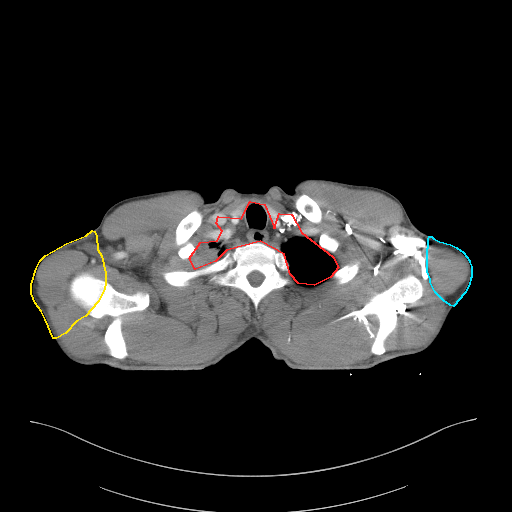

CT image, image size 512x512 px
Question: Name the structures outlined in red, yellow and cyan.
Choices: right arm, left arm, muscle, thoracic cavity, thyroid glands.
Answer: red: thoracic cavity; yellow: right arm; cyan: left arm.
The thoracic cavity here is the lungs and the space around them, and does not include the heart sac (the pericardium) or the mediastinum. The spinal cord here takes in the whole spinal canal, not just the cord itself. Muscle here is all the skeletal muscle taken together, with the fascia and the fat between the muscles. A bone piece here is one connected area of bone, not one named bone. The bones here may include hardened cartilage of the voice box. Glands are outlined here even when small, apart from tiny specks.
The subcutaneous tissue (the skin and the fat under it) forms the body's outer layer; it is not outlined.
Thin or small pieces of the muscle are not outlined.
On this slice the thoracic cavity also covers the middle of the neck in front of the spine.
Outlined structures:
thoracic cavity: (250, 201) (264, 204) (274, 228) (279, 213) (291, 214) (301, 232) (332, 256) (338, 267) (330, 277) (314, 285) (298, 283) (290, 274) (284, 254) (260, 241) (226, 250) (215, 261) (195, 269) (189, 258) (200, 242) (217, 240) (222, 231) (216, 223) (218, 216) (241, 218)
right arm: (92, 230) (94, 231) (96, 236) (97, 249) (101, 255) (105, 273) (105, 284) (103, 291) (97, 302) (85, 316) (76, 321) (65, 333) (56, 338) (53, 338) (45, 319) (41, 311) (35, 303) (31, 293) (31, 284) (36, 268) (40, 260) (45, 255) (66, 243) (86, 235)
left arm: (429, 236) (431, 236) (433, 238) (439, 241) (450, 244) (456, 247) (463, 252) (469, 260) (469, 262) (471, 266) (471, 277) (470, 278) (469, 284) (464, 293) (453, 306) (450, 305) (443, 300) (435, 292) (430, 282) (430, 279) (427, 271) (427, 248) (428, 247) (428, 238)
spinal cord: (253, 271) (258, 271) (260, 273) (261, 273) (264, 276) (264, 278) (263, 279) (263, 280) (260, 283) (260, 284) (259, 285) (258, 285) (257, 286) (254, 286) (253, 285) (252, 285) (250, 283) (250, 282) (248, 280) (248, 279) (247, 278) (247, 276) (251, 272) (252, 272)
muscle 1: (308, 181) (382, 193) (416, 239) (464, 259) (466, 278) (422, 345) (385, 345) (398, 314) (423, 296) (412, 273) (331, 321) (363, 324) (376, 356) (360, 363) (296, 363) (253, 328) (205, 362) (124, 361) (122, 316) (146, 309) (150, 294) (119, 291) (87, 271) (72, 277) (69, 296) (89, 316) (112, 318) (103, 341) (115, 358) (80, 357) (61, 341) (37, 293) (40, 268) (59, 251) (100, 244) (119, 206) (180, 191) (208, 205) (229, 191) (291, 196), around holes outlined by (244, 201) (291, 214) (315, 242) (326, 233) (338, 242) (336, 265) (358, 262) (358, 272) (341, 284) (293, 278) (257, 310) (242, 290) (208, 275) (187, 286) (167, 283) (163, 272) (195, 269) (177, 253) (178, 223) (201, 212) (189, 239) (195, 248) (216, 241) (218, 216) and by (301, 194) (306, 194) (308, 195) (317, 203) (317, 204) (319, 206) (322, 212) (322, 219) (320, 222) (318, 223) (316, 223) (315, 222) (313, 222) (309, 220) (296, 208) (295, 206) (295, 200) (296, 198) (299, 195)
muscle 2: (369, 315) (373, 315) (374, 316) (375, 316) (375, 317) (377, 319) (377, 322) (378, 323) (378, 325) (377, 326) (377, 329) (375, 332) (373, 332) (373, 331) (371, 329) (371, 324) (370, 323) (370, 322) (369, 321) (369, 320) (367, 317)
torso: (305, 178) (386, 190) (429, 235) (429, 282) (453, 307) (426, 349) (368, 369) (298, 370) (252, 338) (201, 370) (123, 371) (75, 362) (58, 347) (54, 339) (104, 291) (94, 229) (113, 204) (176, 188) (198, 190) (207, 202) (226, 188) (265, 192) (277, 185) (291, 194)
bones 1: (253, 242) (260, 242) (280, 251) (289, 264) (292, 278) (290, 284) (274, 289) (263, 297) (257, 310) (242, 290) (215, 285) (209, 282) (208, 275) (192, 279) (187, 286) (171, 285) (162, 275) (165, 271) (191, 271) (205, 267) (218, 260) (226, 251) (231, 252) (239, 246), around a hole outlined by (253, 271) (258, 271) (260, 273) (261, 273) (264, 276) (264, 278) (263, 279) (263, 280) (260, 283) (260, 284) (259, 285) (258, 285) (257, 286) (254, 286) (253, 285) (252, 285) (250, 283) (250, 282) (248, 280) (248, 279) (247, 278) (247, 276) (251, 272) (252, 272)
bones 2: (82, 272) (87, 272) (108, 282) (122, 293) (133, 294) (137, 291) (143, 291) (149, 294) (149, 305) (146, 308) (121, 316) (121, 329) (128, 353) (122, 359) (110, 355) (104, 341) (105, 331) (113, 318) (109, 315) (100, 318) (89, 315) (70, 296) (70, 282) (74, 276)
bones 3: (408, 274) (414, 275) (422, 282) (423, 293) (416, 305) (413, 306) (408, 303) (404, 310) (397, 314) (396, 326) (384, 341) (386, 349) (384, 353) (376, 355) (370, 351) (373, 339) (370, 337) (364, 324) (357, 319) (349, 317) (332, 322) (351, 311) (360, 309) (372, 296); inner edge: (369, 315) (373, 315) (374, 316) (375, 316) (375, 317) (377, 319) (377, 322) (378, 323) (378, 325) (377, 326) (377, 329) (375, 332) (373, 332) (373, 331) (371, 329) (371, 324) (370, 323) (370, 322) (369, 321) (369, 320) (367, 317)
bones 4: (195, 209) (200, 211) (202, 214) (202, 221) (200, 225) (192, 234) (189, 239) (189, 241) (194, 246) (195, 248) (195, 252) (193, 255) (192, 255) (187, 259) (182, 259) (177, 253) (177, 249) (178, 248) (175, 244) (175, 230) (176, 229) (176, 227) (178, 223) (188, 213)
bones 5: (301, 194) (306, 194) (308, 195) (317, 203) (317, 204) (319, 206) (322, 212) (322, 219) (320, 222) (318, 223) (316, 223) (315, 222) (313, 222) (309, 220) (296, 208) (295, 206) (295, 200) (296, 198) (299, 195)
bones 6: (354, 262) (358, 262) (359, 263) (359, 269) (358, 270) (358, 272) (354, 276) (354, 277) (352, 278) (349, 281) (345, 283) (338, 284) (337, 282) (331, 277) (331, 276) (334, 273) (334, 272) (338, 268) (342, 266) (344, 266) (347, 264) (350, 264)
bones 7: (324, 232) (325, 233) (326, 233) (329, 236) (334, 238) (338, 242) (338, 246) (335, 250) (335, 251) (332, 254) (331, 254) (329, 252) (328, 252) (324, 249) (323, 249) (319, 245) (319, 244) (318, 243) (318, 241) (319, 240) (319, 238) (320, 237) (321, 234)
thyroid glands 1: (244, 201) (248, 201) (247, 202) (247, 203) (246, 204) (246, 205) (245, 206) (245, 207) (243, 210) (243, 213) (242, 214) (242, 216) (241, 217) (238, 215) (230, 215) (229, 214) (229, 213) (233, 209) (234, 209) (238, 205) (239, 205) (242, 202) (243, 202)
thyroid glands 2: (265, 204) (267, 204) (269, 206) (270, 206) (274, 210) (275, 210) (277, 212) (277, 218) (276, 219) (275, 219) (272, 222) (271, 222) (270, 221) (270, 218) (269, 217) (269, 216) (268, 215) (268, 213) (267, 212) (267, 211) (266, 210) (266, 207) (265, 206)